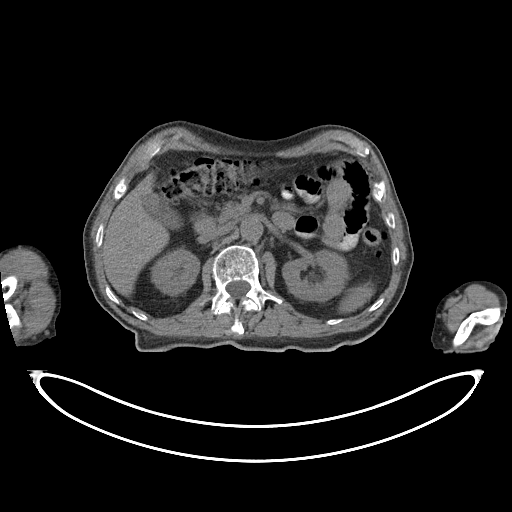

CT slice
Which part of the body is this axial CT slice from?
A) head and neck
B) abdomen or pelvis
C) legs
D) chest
B) abdomen or pelvis
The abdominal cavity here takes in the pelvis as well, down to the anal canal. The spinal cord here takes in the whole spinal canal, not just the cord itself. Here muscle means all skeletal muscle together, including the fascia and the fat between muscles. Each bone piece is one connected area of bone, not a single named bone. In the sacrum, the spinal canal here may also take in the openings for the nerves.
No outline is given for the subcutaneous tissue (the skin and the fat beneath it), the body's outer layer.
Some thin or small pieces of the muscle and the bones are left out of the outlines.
{"right_arm":[[[19,243],[31,244],[39,248],[47,256],[56,272],[61,289],[61,308],[55,322],[56,335],[50,339],[45,339],[43,341],[31,346],[17,346],[16,345],[12,334],[12,330],[9,325],[9,322],[4,305],[2,288],[0,284],[0,251],[5,248]]],"spinal_cord":[[[241,280],[242,281],[245,281],[246,282],[247,282],[249,284],[250,287],[243,297],[242,297],[240,299],[235,299],[234,298],[233,298],[231,296],[231,295],[226,290],[226,286],[230,282],[231,282],[232,281],[240,281]]],"torso":[[[174,119],[256,139],[283,137],[326,123],[349,126],[370,138],[379,148],[391,174],[408,221],[414,253],[405,291],[384,325],[360,342],[327,352],[248,351],[230,344],[139,351],[134,334],[99,305],[88,285],[82,232],[91,209],[131,146],[153,126]]],"muscle":[{"outer":[[173,126],[185,127],[215,145],[252,152],[278,151],[322,131],[343,130],[357,137],[336,137],[353,148],[353,153],[334,149],[282,157],[170,149],[157,155],[164,141],[152,139],[138,157],[141,164],[151,162],[128,187],[126,176],[118,180],[112,192],[115,204],[105,225],[100,222],[95,233],[107,282],[104,291],[111,301],[118,305],[120,300],[155,318],[179,314],[202,293],[202,268],[212,258],[215,291],[209,298],[210,310],[214,315],[234,310],[230,330],[242,335],[245,329],[239,317],[241,310],[260,312],[268,300],[283,302],[260,281],[259,260],[270,252],[276,263],[274,289],[298,312],[335,325],[366,309],[376,310],[385,300],[380,296],[388,286],[392,266],[400,261],[400,250],[396,245],[392,248],[390,229],[396,227],[395,215],[392,211],[383,215],[380,204],[386,200],[385,182],[374,181],[363,159],[370,154],[370,148],[361,139],[371,146],[387,176],[406,245],[398,287],[381,314],[362,329],[322,337],[168,337],[154,335],[122,318],[99,289],[91,228],[111,185],[134,151],[154,134]],"hole":[[132,310],[134,310],[135,311],[137,311],[138,312],[141,312],[142,313],[143,313],[144,314],[145,314],[146,315],[146,316],[147,317],[147,320],[142,320],[141,319],[140,319],[139,318],[138,318],[136,316],[135,316],[132,313]]},[[19,247],[28,248],[36,252],[45,262],[57,301],[57,309],[50,325],[50,332],[24,342],[14,341],[12,329],[14,327],[20,327],[22,323],[16,309],[10,302],[8,302],[18,285],[18,277],[15,274],[9,274],[0,279],[0,257],[9,251]],{"outer":[[474,283],[483,285],[489,290],[491,290],[498,294],[503,308],[502,320],[495,334],[482,347],[480,348],[470,347],[465,349],[453,349],[450,345],[444,342],[441,335],[441,317],[440,315],[442,311],[443,302],[447,297],[454,293],[462,291],[467,286]],"hole":[[489,307],[499,307],[500,308],[500,311],[499,312],[499,319],[498,321],[490,325],[476,324],[474,326],[472,331],[468,337],[460,345],[456,347],[454,347],[452,343],[452,339],[462,321],[472,312],[474,312],[475,311],[479,311]]}],"bones":[{"outer":[[233,244],[245,245],[255,252],[259,262],[261,286],[282,299],[281,303],[266,300],[260,311],[241,309],[238,317],[244,329],[242,334],[231,330],[237,313],[234,309],[230,313],[218,314],[211,310],[210,298],[216,291],[212,275],[213,258],[220,250]],"hole":[[241,280],[242,281],[245,281],[246,282],[247,282],[249,284],[250,287],[243,297],[242,297],[240,299],[235,299],[234,298],[233,298],[231,296],[231,295],[226,290],[226,286],[230,282],[231,282],[232,281],[240,281]]},[[489,307],[499,307],[500,308],[500,311],[499,312],[499,319],[498,321],[490,325],[476,324],[474,326],[472,331],[468,337],[460,345],[456,347],[454,347],[452,343],[452,339],[462,321],[472,312],[474,312],[475,311],[479,311]],[[9,275],[15,275],[17,277],[17,285],[13,293],[7,300],[7,302],[10,303],[13,306],[18,315],[18,317],[21,323],[20,326],[14,326],[11,329],[9,325],[9,322],[4,305],[2,288],[0,284],[0,280],[3,278],[5,278]],[[338,136],[346,136],[347,137],[353,137],[354,138],[357,138],[359,139],[362,142],[363,142],[363,143],[365,145],[368,146],[369,148],[369,154],[365,157],[361,157],[360,156],[356,155],[353,152],[354,148],[350,145],[337,139],[337,137]],[[156,138],[157,139],[159,139],[163,141],[161,145],[161,147],[160,148],[160,150],[159,152],[149,160],[143,163],[141,163],[141,162],[139,160],[139,157],[140,155],[142,153],[142,152],[144,150],[144,149],[146,147],[148,143],[149,143],[152,140]],[[122,177],[126,177],[126,183],[127,184],[127,189],[126,190],[126,191],[123,194],[123,195],[118,200],[115,200],[114,199],[114,198],[113,197],[113,192],[114,191],[114,189],[115,188],[115,186],[117,184],[117,183],[119,181],[119,180]],[[380,180],[383,180],[383,181],[384,182],[384,184],[385,185],[385,200],[384,201],[383,201],[382,202],[379,202],[375,198],[375,196],[374,195],[374,183],[375,182],[377,182],[378,181],[379,181]],[[100,223],[103,223],[104,224],[104,229],[103,230],[103,238],[102,239],[102,243],[101,244],[101,246],[100,247],[98,247],[96,245],[96,243],[95,242],[95,237],[96,236],[96,233],[97,232],[97,230],[98,229],[98,227],[99,226]],[[388,212],[392,212],[393,213],[393,214],[394,215],[394,219],[395,220],[395,227],[394,228],[390,228],[386,224],[386,222],[385,221],[385,220],[384,219],[384,216]],[[106,285],[108,285],[109,286],[109,287],[111,289],[111,290],[113,292],[113,293],[118,298],[118,299],[119,300],[119,303],[118,304],[117,303],[114,302],[112,300],[111,300],[108,297],[108,296],[106,294],[106,292],[105,291],[105,287],[106,286]],[[380,297],[382,297],[384,299],[384,300],[383,301],[383,302],[381,304],[381,305],[380,306],[379,306],[376,309],[375,309],[374,310],[373,310],[372,311],[368,311],[368,310],[367,309],[374,302],[375,302],[376,301],[376,300],[377,300]],[[132,310],[134,310],[135,311],[137,311],[138,312],[141,312],[142,313],[143,313],[144,314],[145,314],[146,315],[146,316],[147,317],[147,320],[142,320],[141,319],[140,319],[139,318],[138,318],[136,316],[135,316],[132,313]]],"abdominal_cavity":[[[170,150],[282,158],[341,150],[362,158],[391,238],[387,286],[356,314],[314,317],[298,311],[277,292],[277,263],[270,251],[259,259],[251,247],[233,243],[204,262],[201,293],[179,313],[155,317],[127,305],[106,279],[105,226],[116,202],[152,158]]],"left_arm":[[[476,279],[487,280],[497,284],[504,290],[507,296],[507,306],[505,310],[505,315],[501,325],[499,327],[495,340],[485,351],[478,353],[443,353],[440,349],[435,349],[432,346],[430,337],[434,323],[435,309],[438,302],[446,293],[454,289],[462,283]]]}